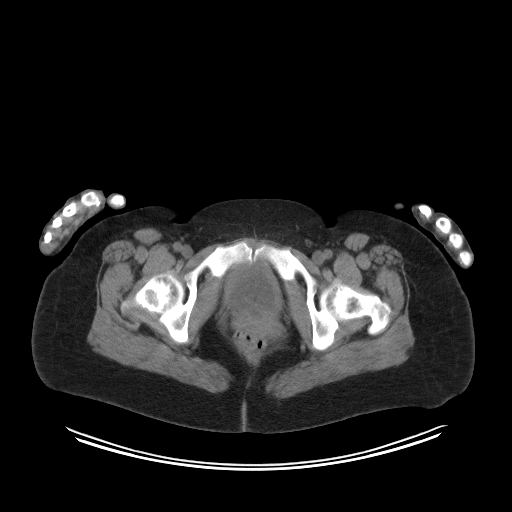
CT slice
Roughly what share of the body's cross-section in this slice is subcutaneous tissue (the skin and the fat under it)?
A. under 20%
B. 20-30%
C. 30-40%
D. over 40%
Answer: D. over 40%
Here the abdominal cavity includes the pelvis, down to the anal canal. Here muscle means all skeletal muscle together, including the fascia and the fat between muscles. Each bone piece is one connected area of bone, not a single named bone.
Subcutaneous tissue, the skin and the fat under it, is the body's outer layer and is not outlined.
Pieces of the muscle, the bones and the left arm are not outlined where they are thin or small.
The left arm is outlined by 417,201 426,204 433,210 441,211 445,213 458,224 466,237 473,252 474,257 473,258 473,261 469,268 463,269 457,265 445,250 444,247 435,237 429,231 423,228 418,223 411,211 411,206 412,204. The muscle appears in 3 outlined pieces: piece 1: 146,225 153,226 161,232 166,238 170,247 184,258 191,256 208,245 214,243 230,241 241,237 257,237 270,239 284,245 289,245 304,253 314,262 327,265 342,240 349,233 361,232 368,235 380,236 388,239 399,249 402,254 404,270 410,287 408,315 415,341 414,345 409,350 409,357 406,361 396,366 351,375 337,381 313,387 311,389 297,393 287,398 277,399 265,392 264,385 262,384 262,382 265,377 276,369 291,364 294,361 298,352 293,351 291,348 286,348 263,359 255,370 250,385 246,387 245,385 251,375 252,368 246,362 238,358 234,354 230,345 220,334 216,327 216,322 214,319 210,319 200,330 199,347 207,357 214,359 222,364 233,375 234,380 230,383 229,387 222,392 212,393 204,389 180,382 165,375 123,365 94,352 87,342 86,337 90,329 96,309 95,283 98,270 101,264 102,251 108,243 125,231, around holes outlined by 241,240 253,249 262,243 289,248 316,279 316,302 336,280 360,293 376,294 391,308 388,324 372,335 369,316 342,320 334,342 324,350 314,348 306,284 297,273 281,285 287,303 284,338 251,361 233,343 225,307 216,311 223,279 207,268 197,279 187,342 173,340 156,312 131,305 122,313 121,302 153,275 169,272 183,283 184,274 217,246 and by 291,322 292,323 292,325 297,330 297,331 299,334 299,336 300,337 300,339 298,342 298,346 297,347 296,347 294,345 293,345 293,343 292,342 292,340 290,338 290,336 292,334 292,333 293,332 291,330; piece 2: 100,195 104,198 105,201 96,211 84,217 77,225 71,229 69,233 63,238 59,245 51,252 46,252 42,249 40,245 42,241 44,244 48,244 52,239 52,232 50,230 46,231 47,227 50,224 50,227 52,229 59,228 62,225 64,219 75,215 80,209 81,207 80,205 74,200 80,198 79,203 81,206 85,207 95,206 98,207 101,204; piece 3: 418,210 419,212 422,215 423,215 427,220 428,220 431,217 433,213 439,216 436,218 434,222 435,227 443,234 448,235 448,241 455,249 459,249 463,245 463,244 465,249 467,250 461,250 458,253 458,258 459,259 459,261 457,259 457,255 456,253 452,249 446,245 446,243 447,242 446,241 446,239 440,236 438,234 432,223 423,221 418,213. The right arm is outlined by 87,188 100,189 102,190 105,196 114,192 118,193 123,197 125,203 124,205 122,207 113,209 108,204 106,204 101,212 87,219 76,230 59,253 52,257 47,257 43,255 38,247 38,239 44,225 67,198. The torso is outlined by 237,198 298,201 328,225 340,210 370,209 426,235 470,303 475,361 466,389 435,408 392,408 263,434 184,427 47,387 32,359 33,316 45,277 86,229 105,217 156,204 175,208 175,219 184,222 209,204. The bones appear in 7 outlined pieces: piece 1: 241,240 289,248 316,279 316,302 336,280 376,294 391,308 388,324 372,335 369,316 342,320 334,342 314,348 304,279 283,281 263,259 220,278 202,271 185,343 156,312 122,313 153,275 183,283 217,246; piece 2: 441,216 447,218 450,221 451,225 452,226 451,227 451,231 452,232 455,232 461,235 462,239 463,240 463,243 459,248 455,248 454,246 449,241 449,235 448,234 443,233 438,228 436,227 435,222 437,218; piece 3: 72,201 76,202 80,207 77,211 77,212 75,214 69,217 66,217 64,218 62,220 62,223 59,227 57,227 56,228 52,228 51,227 51,223 54,219 54,218 55,218 62,211 63,208 67,204 68,204; piece 4: 89,191 93,191 95,192 98,195 99,195 100,197 100,204 98,206 96,206 95,205 91,205 90,206 85,206 84,205 81,205 80,203 80,199 81,198 81,196 84,193 86,192 88,192; piece 5: 461,251 467,251 468,252 469,252 471,254 471,261 470,262 470,263 468,265 467,265 466,266 465,266 464,265 462,265 460,263 460,259 459,258 459,253; piece 6: 115,195 121,195 123,197 123,199 124,200 124,202 123,203 123,204 122,205 121,205 120,206 119,206 118,207 115,207 114,206 113,206 112,205 111,205 109,203 109,200 113,196 114,196; piece 7: 421,204 423,204 424,205 426,205 427,206 428,206 431,209 431,210 432,211 432,213 431,214 431,215 430,216 430,217 428,219 427,219 425,217 425,216 423,214 422,214 420,212 420,211 418,208 418,206. The abdominal cavity is outlined by 257,260 266,261 283,282 281,287 287,303 285,316 286,334 278,343 266,349 255,361 251,361 246,358 233,343 232,335 226,320 225,307 222,305 216,311 220,302 222,278 225,274 236,265 246,262 253,263.